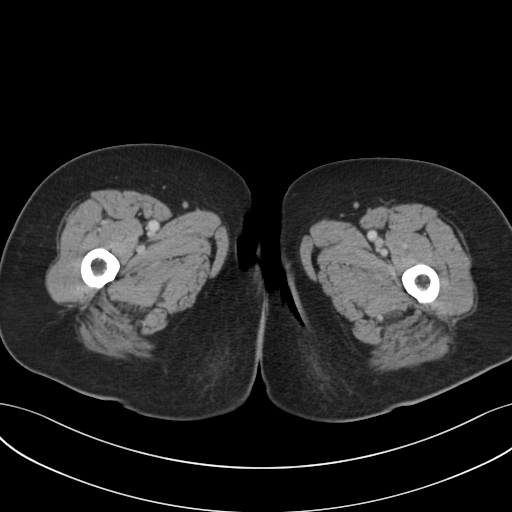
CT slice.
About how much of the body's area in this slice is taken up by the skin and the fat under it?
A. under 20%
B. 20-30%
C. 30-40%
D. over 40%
D. over 40%
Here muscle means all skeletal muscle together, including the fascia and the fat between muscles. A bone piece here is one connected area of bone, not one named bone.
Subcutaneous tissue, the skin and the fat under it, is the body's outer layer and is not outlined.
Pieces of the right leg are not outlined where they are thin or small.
right leg: (126, 143) (165, 143) (208, 153) (235, 169) (250, 190) (252, 211) (238, 241) (238, 258) (242, 265) (256, 262) (271, 290) (262, 317) (259, 371) (248, 399) (230, 413) (197, 421) (145, 416) (26, 369) (0, 339) (0, 257) (25, 202) (39, 183) (66, 161) (94, 149)
bones 1: (97, 247) (103, 247) (111, 252) (117, 258) (119, 261) (119, 264) (120, 265) (119, 270) (116, 274) (114, 279) (106, 283) (101, 288) (99, 288) (98, 289) (94, 287) (90, 287) (87, 285) (82, 279) (81, 277) (81, 272) (80, 271) (81, 261) (84, 255) (90, 250)
bones 2: (417, 263) (423, 263) (433, 268) (437, 273) (438, 277) (439, 278) (439, 292) (437, 296) (435, 298) (435, 299) (433, 301) (429, 303) (420, 303) (413, 296) (409, 294) (404, 288) (403, 284) (402, 283) (402, 281) (401, 280) (401, 276) (403, 272) (407, 268)
left leg: (358, 157) (402, 157) (449, 167) (477, 183) (498, 204) (511, 224) (511, 360) (433, 397) (383, 414) (347, 422) (317, 422) (276, 407) (266, 395) (260, 372) (263, 317) (272, 288) (279, 285) (283, 298) (298, 317) (279, 258) (280, 204) (289, 185) (306, 171) (328, 162)
muscle 1: (106, 188) (148, 193) (178, 209) (211, 210) (227, 227) (229, 249) (220, 271) (206, 282) (193, 306) (176, 315) (157, 334) (153, 359) (133, 357) (125, 360) (88, 350) (77, 339) (72, 314) (51, 299) (45, 286) (46, 271) (57, 253) (57, 227) (65, 211) (79, 194); inner edge: (97, 247) (103, 247) (111, 252) (117, 258) (119, 261) (119, 264) (120, 265) (119, 270) (116, 274) (114, 279) (106, 283) (101, 288) (99, 288) (98, 289) (94, 287) (90, 287) (87, 285) (82, 279) (81, 277) (81, 272) (80, 271) (81, 261) (84, 255) (90, 250)
muscle 2: (410, 202) (435, 208) (463, 233) (472, 259) (470, 272) (477, 288) (477, 309) (458, 322) (453, 352) (435, 361) (378, 374) (367, 366) (366, 350) (341, 325) (338, 314) (320, 286) (306, 275) (300, 262) (299, 245) (309, 227) (320, 219) (326, 217) (337, 219) (387, 203), around a hole outlined by (417, 263) (423, 263) (433, 268) (437, 273) (438, 277) (439, 278) (439, 292) (437, 296) (435, 298) (435, 299) (433, 301) (429, 303) (420, 303) (413, 296) (409, 294) (404, 288) (403, 284) (402, 283) (402, 281) (401, 280) (401, 276) (403, 272) (407, 268)